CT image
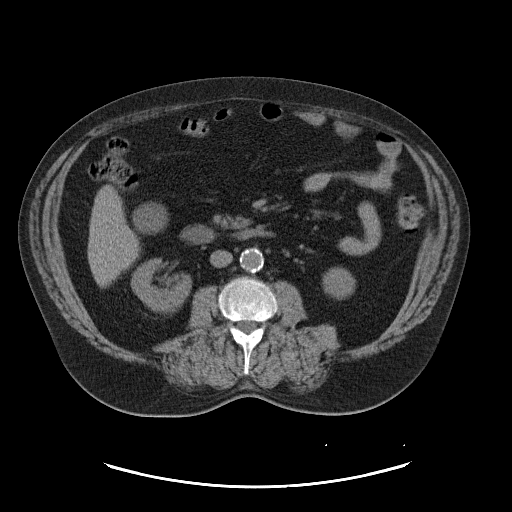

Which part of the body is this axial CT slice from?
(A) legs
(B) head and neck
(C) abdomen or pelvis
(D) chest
Answer: (C) abdomen or pelvis
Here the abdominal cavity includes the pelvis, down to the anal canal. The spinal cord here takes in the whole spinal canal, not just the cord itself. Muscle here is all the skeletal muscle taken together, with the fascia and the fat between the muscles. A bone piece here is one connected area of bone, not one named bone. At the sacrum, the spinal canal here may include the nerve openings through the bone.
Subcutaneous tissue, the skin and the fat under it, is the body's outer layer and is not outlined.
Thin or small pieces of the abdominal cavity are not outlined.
The abdominal cavity is outlined by (224, 100) (274, 102) (378, 130) (398, 139) (419, 167) (428, 200) (425, 238) (406, 299) (375, 339) (340, 349) (334, 325) (298, 325) (307, 314) (292, 283) (246, 275) (221, 288) (199, 287) (181, 334) (151, 353) (99, 331) (74, 287) (58, 233) (70, 168) (101, 135). The bones are outlined by (243, 276) (254, 278) (267, 284) (274, 293) (277, 302) (277, 311) (272, 317) (264, 323) (265, 328) (262, 338) (251, 351) (249, 357) (249, 372) (246, 375) (243, 373) (243, 348) (232, 338) (228, 328) (229, 321) (222, 315) (218, 307) (218, 294) (221, 289) (231, 280), around a hole outlined by (239, 321) (254, 321) (255, 322) (256, 322) (258, 324) (257, 325) (257, 327) (255, 329) (254, 329) (253, 330) (252, 330) (249, 333) (246, 333) (245, 332) (244, 332) (243, 331) (242, 331) (240, 329) (239, 329) (236, 326) (236, 323) (237, 323). The torso is outlined by (234, 75) (312, 81) (376, 99) (417, 124) (444, 153) (462, 184) (470, 241) (448, 320) (423, 371) (377, 407) (322, 415) (242, 397) (196, 415) (144, 417) (118, 411) (90, 396) (56, 352) (28, 285) (17, 240) (22, 197) (40, 159) (69, 126) (116, 98) (166, 83). The spinal cord is outlined by (239, 321) (254, 321) (255, 322) (256, 322) (258, 324) (257, 325) (257, 327) (255, 329) (254, 329) (253, 330) (252, 330) (249, 333) (246, 333) (245, 332) (244, 332) (243, 331) (242, 331) (240, 329) (239, 329) (236, 326) (236, 323) (237, 323). The muscle is outlined by (240, 94) (297, 100) (355, 111) (394, 126) (411, 137) (429, 152) (448, 176) (458, 200) (460, 226) (457, 250) (450, 274) (428, 317) (406, 338) (393, 347) (366, 357) (337, 365) (328, 375) (323, 384) (312, 391) (301, 394) (300, 393) (283, 394) (263, 388) (254, 383) (251, 379) (242, 377) (234, 385) (220, 392) (205, 396) (194, 395) (188, 392) (186, 393) (174, 385) (170, 384) (158, 371) (146, 364) (125, 361) (97, 349) (82, 338) (66, 322) (46, 291) (31, 251) (29, 239) (29, 215) (31, 204) (34, 198) (36, 189) (42, 179) (46, 175) (49, 168) (60, 154) (83, 133) (110, 118) (117, 117) (135, 110) (150, 108) (154, 106) (172, 105) (177, 103) (186, 103) (219, 97) (227, 97) (231, 95) (238, 96), around a hole outlined by (224, 100) (274, 102) (378, 130) (419, 167) (425, 238) (406, 299) (375, 339) (340, 349) (334, 325) (298, 325) (307, 318) (302, 297) (283, 279) (269, 284) (277, 311) (246, 375) (215, 284) (194, 292) (181, 334) (151, 353) (99, 331) (58, 233) (70, 168) (101, 135).